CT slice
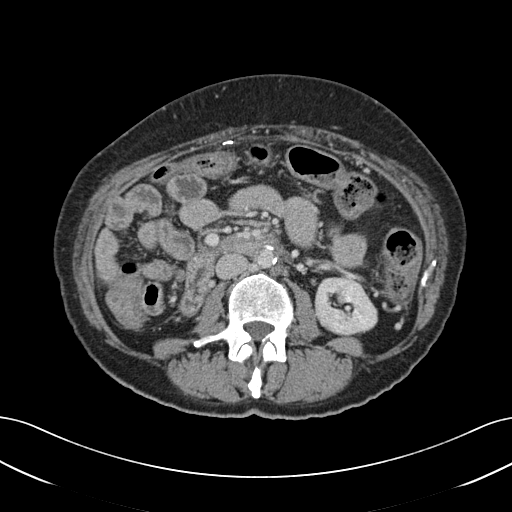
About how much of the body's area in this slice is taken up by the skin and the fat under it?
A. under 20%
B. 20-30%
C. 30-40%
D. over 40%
B. 20-30%
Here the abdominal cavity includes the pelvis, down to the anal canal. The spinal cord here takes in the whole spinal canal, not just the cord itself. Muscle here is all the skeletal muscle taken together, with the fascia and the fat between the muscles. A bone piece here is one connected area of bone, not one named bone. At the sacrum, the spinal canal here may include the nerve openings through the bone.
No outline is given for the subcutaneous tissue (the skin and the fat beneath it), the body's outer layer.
{"bones":[{"outer":[[260,272],[285,285],[293,303],[294,320],[287,328],[285,361],[264,364],[261,368],[261,395],[253,398],[247,385],[254,366],[261,364],[260,352],[241,363],[228,358],[228,344],[223,339],[200,347],[195,347],[193,341],[226,326],[227,301],[232,285]],"hole":[[253,321],[260,321],[261,322],[265,322],[268,324],[270,324],[272,325],[273,327],[273,329],[270,332],[267,333],[260,340],[259,342],[256,342],[253,339],[251,335],[246,330],[245,330],[244,328],[244,325],[246,323],[248,322],[252,322]]},[[433,259],[435,259],[436,260],[436,263],[435,264],[435,266],[433,268],[433,270],[426,282],[426,286],[423,287],[420,290],[420,291],[419,290],[419,287],[420,286],[420,280],[421,279],[422,274],[424,270],[428,267],[431,261]]],"abdominal_cavity":[[[258,128],[368,164],[415,214],[425,244],[417,311],[388,349],[366,352],[354,336],[316,342],[308,292],[290,282],[291,297],[262,271],[231,285],[226,309],[218,283],[194,336],[159,338],[152,353],[130,347],[107,323],[92,260],[116,199],[159,163]]],"muscle":[[[292,122],[324,128],[356,140],[378,155],[406,166],[427,185],[439,206],[448,238],[444,281],[434,313],[412,345],[387,359],[366,365],[332,396],[310,403],[285,404],[260,398],[262,368],[268,362],[285,362],[287,359],[288,328],[295,320],[290,283],[295,283],[309,295],[320,330],[314,341],[316,343],[354,337],[359,339],[366,353],[378,354],[396,345],[409,333],[418,311],[419,291],[427,286],[437,260],[433,258],[425,268],[424,234],[402,193],[371,165],[353,155],[290,139],[284,131],[276,128],[258,127],[239,137],[226,138],[165,159],[122,191],[105,213],[93,243],[93,289],[99,309],[113,333],[130,348],[152,354],[153,345],[159,339],[194,337],[192,330],[206,298],[218,284],[224,285],[225,326],[194,339],[192,345],[200,348],[223,340],[227,344],[227,358],[241,364],[260,353],[260,364],[253,366],[246,385],[250,396],[257,399],[226,404],[193,399],[184,395],[164,370],[104,342],[89,323],[80,304],[72,271],[74,242],[82,214],[88,198],[100,184],[110,174],[134,161],[228,127]]],"torso":[[[263,73],[335,80],[387,106],[444,168],[465,215],[464,265],[455,304],[437,341],[391,389],[361,406],[325,417],[209,417],[181,412],[135,393],[108,376],[87,355],[65,315],[54,271],[53,237],[61,205],[76,174],[93,155],[183,94],[221,80]]],"spinal_cord":[[[253,321],[260,321],[261,322],[265,322],[268,324],[270,324],[272,325],[273,327],[273,329],[270,332],[267,333],[260,340],[259,342],[256,342],[253,339],[251,335],[246,330],[245,330],[244,328],[244,325],[246,323],[248,322],[252,322]]]}